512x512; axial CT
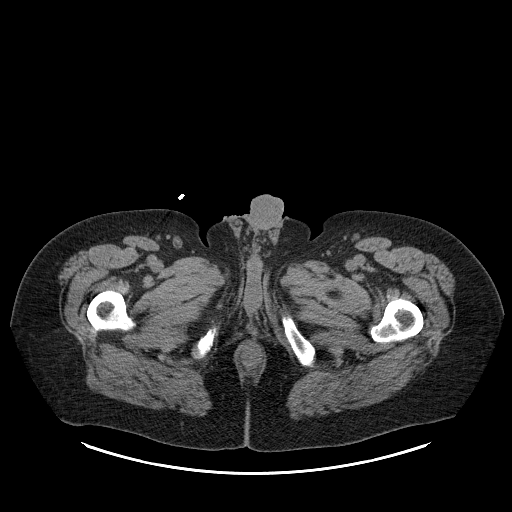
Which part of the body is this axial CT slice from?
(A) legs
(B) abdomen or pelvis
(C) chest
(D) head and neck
Answer: (B) abdomen or pelvis
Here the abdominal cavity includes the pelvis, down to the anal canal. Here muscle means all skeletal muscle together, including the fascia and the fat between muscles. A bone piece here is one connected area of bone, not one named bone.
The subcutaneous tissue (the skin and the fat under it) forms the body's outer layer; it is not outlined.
{"bones":[[[396,297],[401,297],[404,299],[409,300],[418,306],[423,315],[423,326],[421,330],[417,334],[404,340],[401,341],[391,341],[390,342],[376,342],[374,341],[370,336],[369,333],[370,327],[372,325],[376,324],[381,319],[384,309],[388,302],[393,298]],[[107,289],[110,289],[119,292],[123,296],[126,304],[126,310],[127,313],[136,323],[136,325],[132,329],[127,331],[124,331],[120,329],[115,329],[114,330],[98,330],[96,331],[91,325],[86,315],[86,312],[87,311],[89,302],[92,298],[98,293]],[[284,315],[285,316],[286,315],[291,316],[295,325],[299,331],[315,348],[316,350],[316,354],[312,366],[304,366],[302,365],[298,361],[295,354],[293,352],[291,346],[288,342],[288,340],[284,333],[284,329],[281,322],[281,318],[282,316]],[[212,327],[216,327],[216,329],[217,330],[217,334],[214,337],[214,342],[213,343],[213,345],[211,347],[210,350],[209,350],[203,357],[201,358],[196,358],[194,355],[197,353],[197,348],[196,347],[197,341],[199,338],[200,338],[210,328]]],"abdominal_cavity":[[[249,340],[254,342],[260,347],[263,354],[263,364],[261,366],[260,369],[257,372],[257,373],[255,374],[255,375],[249,375],[248,376],[246,374],[244,374],[238,363],[238,354],[239,353],[239,350],[241,348],[241,347],[246,341],[248,341]]],"muscle":[{"outer":[[131,234],[155,240],[167,259],[200,256],[245,277],[261,277],[292,260],[325,261],[368,236],[408,241],[437,256],[452,273],[456,282],[455,327],[441,340],[437,355],[405,386],[380,402],[356,409],[291,418],[287,397],[304,373],[280,343],[269,352],[262,377],[252,389],[242,387],[231,349],[220,351],[203,375],[213,403],[203,416],[111,398],[91,390],[86,383],[82,346],[59,315],[58,273],[78,251],[111,237]],"holes":[[[396,297],[401,297],[404,299],[409,300],[418,306],[423,315],[423,326],[421,330],[417,334],[404,340],[401,341],[391,341],[390,342],[376,342],[374,341],[370,336],[369,333],[370,327],[372,325],[376,324],[381,319],[384,309],[388,302],[393,298]],[[107,289],[110,289],[119,292],[123,296],[126,304],[126,310],[127,313],[136,323],[136,325],[132,329],[127,331],[124,331],[120,329],[115,329],[114,330],[98,330],[96,331],[91,325],[86,315],[86,312],[87,311],[89,302],[92,298],[98,293]],[[284,315],[285,316],[286,315],[291,316],[295,325],[299,331],[315,348],[316,350],[316,354],[312,366],[304,366],[302,365],[298,361],[295,354],[293,352],[291,346],[288,342],[288,340],[284,333],[284,329],[281,322],[281,318],[282,316]],[[249,340],[254,342],[260,347],[263,354],[263,364],[261,366],[260,369],[257,372],[257,373],[255,374],[255,375],[249,375],[248,376],[246,374],[244,374],[238,363],[238,354],[239,353],[239,350],[241,348],[241,347],[246,341],[248,341]],[[212,327],[216,327],[216,329],[217,330],[217,334],[214,337],[214,342],[213,343],[213,345],[211,347],[210,350],[209,350],[203,357],[201,358],[196,358],[194,355],[197,353],[197,348],[196,347],[197,341],[199,338],[200,338],[210,328]]]}],"torso":[[[261,194],[282,199],[283,215],[305,222],[312,238],[336,213],[375,210],[432,222],[475,255],[504,315],[454,417],[348,445],[276,452],[192,449],[59,419],[10,327],[22,276],[43,245],[85,218],[149,208],[188,215],[205,244],[212,224],[247,213]]]}